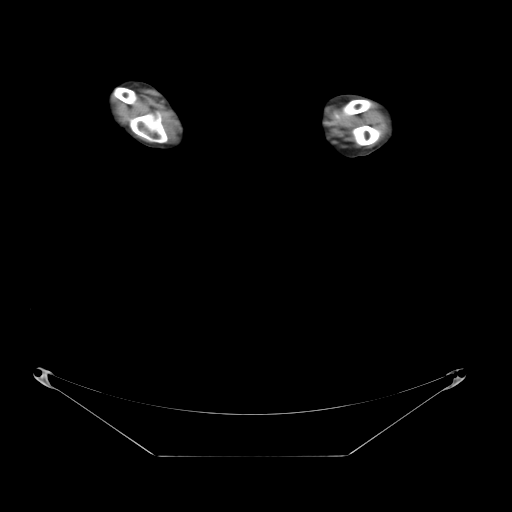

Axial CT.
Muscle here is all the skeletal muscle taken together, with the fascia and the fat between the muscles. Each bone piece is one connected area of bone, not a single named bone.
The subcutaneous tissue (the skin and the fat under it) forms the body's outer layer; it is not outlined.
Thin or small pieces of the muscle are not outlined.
Outlines:
bones 1: 157 112; 159 112; 162 116; 162 124; 168 137; 167 142; 159 143; 158 142; 150 142; 149 141; 147 141; 135 134; 130 129; 129 127; 129 120; 131 118; 133 118; 137 116; 140 116; 141 115; 144 115; 148 113; 153 113; 154 114
bones 2: 362 125; 368 125; 369 126; 371 126; 372 127; 374 127; 378 129; 381 132; 381 134; 380 135; 379 139; 373 144; 369 144; 368 145; 364 145; 363 146; 359 145; 354 139; 354 136; 352 134; 352 130; 354 128; 358 126; 361 126
bones 3: 361 98; 367 98; 368 99; 370 99; 372 100; 373 102; 373 105; 370 108; 360 113; 356 113; 355 114; 352 114; 351 115; 345 115; 343 114; 343 112; 342 111; 342 108; 345 104; 346 104; 350 100; 352 100; 353 99; 360 99
bones 4: 115 86; 122 86; 123 87; 126 87; 127 88; 129 88; 130 89; 133 90; 135 92; 135 93; 136 94; 136 96; 137 97; 137 99; 136 100; 136 101; 133 104; 128 104; 127 103; 118 99; 116 97; 113 96; 111 94; 111 91
left arm: 344 93; 356 93; 367 96; 369 98; 371 98; 383 104; 391 112; 393 117; 393 123; 394 124; 393 137; 381 148; 368 155; 357 156; 352 158; 343 156; 336 152; 324 139; 324 136; 320 127; 320 115; 322 105; 327 99; 335 95
muscle 1: 357 97; 360 98; 350 99; 342 106; 341 108; 342 114; 345 116; 351 116; 365 112; 374 105; 373 100; 380 104; 389 117; 390 131; 384 139; 371 147; 363 150; 347 150; 336 143; 327 131; 326 113; 329 107; 335 101; 340 101; inner edge: 362 125; 368 125; 369 126; 371 126; 372 127; 374 127; 378 129; 381 132; 381 134; 380 135; 379 139; 373 144; 369 144; 368 145; 364 145; 363 146; 359 145; 354 139; 354 136; 352 134; 352 130; 354 128; 358 126; 361 126
muscle 2: 117 85; 145 87; 160 96; 177 118; 181 136; 173 144; 163 144; 168 142; 169 137; 159 111; 131 117; 128 120; 129 129; 143 139; 131 133; 117 120; 108 94; 110 92; 113 97; 128 105; 133 105; 138 97; 133 89
right arm: 128 79; 136 79; 153 85; 169 100; 181 117; 186 127; 187 139; 184 143; 177 147; 169 149; 160 149; 159 148; 148 147; 142 145; 132 139; 121 128; 118 127; 114 123; 108 111; 108 106; 107 105; 108 94; 119 82